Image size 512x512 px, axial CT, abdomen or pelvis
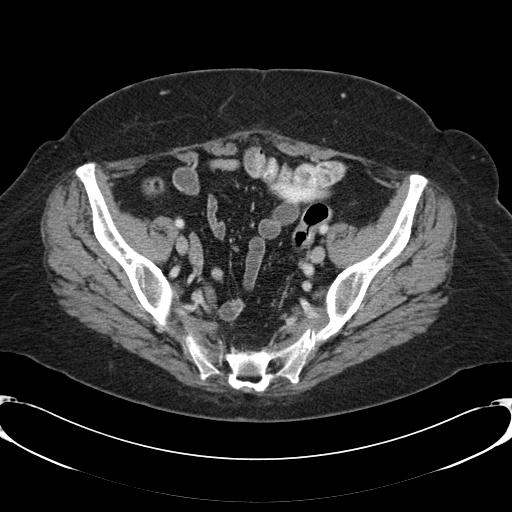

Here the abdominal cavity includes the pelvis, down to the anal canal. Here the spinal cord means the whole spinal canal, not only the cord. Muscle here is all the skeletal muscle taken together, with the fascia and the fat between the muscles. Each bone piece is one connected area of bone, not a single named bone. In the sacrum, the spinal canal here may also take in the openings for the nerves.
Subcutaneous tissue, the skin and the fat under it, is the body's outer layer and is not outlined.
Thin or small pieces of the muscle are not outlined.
{"bones":[{"outer":[[411,174],[428,182],[406,245],[375,274],[350,319],[315,345],[297,383],[278,376],[257,392],[247,386],[235,389],[221,374],[200,378],[184,344],[189,333],[215,353],[225,348],[280,349],[308,327],[323,326],[328,321],[324,297],[329,285],[384,241]],"hole":[[240,375],[242,375],[243,376],[244,376],[245,375],[246,375],[247,376],[259,376],[260,377],[260,378],[257,381],[251,381],[250,380],[243,380],[242,379],[239,379],[237,377],[238,376],[239,376]]},[[88,162],[94,162],[95,164],[95,178],[97,185],[119,233],[133,249],[151,260],[162,271],[169,282],[173,294],[172,303],[163,325],[161,325],[141,305],[125,271],[102,247],[93,232],[92,213],[87,193],[83,183],[75,174],[75,170],[78,166]]],"abdominal_cavity":[[[252,139],[288,156],[352,160],[394,192],[368,223],[338,221],[329,228],[325,242],[335,275],[325,292],[270,344],[243,347],[186,311],[168,280],[165,265],[176,235],[172,219],[126,211],[113,185],[162,156],[187,162],[204,154],[230,155]]],"torso":[[[235,67],[308,68],[368,78],[412,99],[439,128],[465,131],[486,148],[499,176],[498,198],[511,213],[510,363],[462,369],[407,397],[349,413],[251,423],[151,408],[27,356],[0,352],[0,194],[38,146],[60,137],[90,105],[124,86],[170,73]]],"muscle":[[[75,167],[96,240],[161,326],[172,308],[170,284],[184,310],[214,325],[232,346],[265,346],[324,294],[327,321],[317,329],[308,326],[280,348],[212,352],[185,334],[183,344],[202,381],[221,375],[233,389],[257,393],[278,377],[297,384],[316,345],[351,319],[376,274],[407,245],[428,178],[449,195],[458,223],[448,300],[425,332],[298,394],[268,398],[185,385],[74,320],[57,303],[44,270],[40,221],[54,185]],[[252,127],[420,173],[408,176],[406,195],[383,241],[336,275],[326,242],[330,228],[338,222],[357,227],[368,224],[380,215],[395,192],[373,179],[360,163],[349,158],[315,160],[288,155],[258,138],[248,140],[230,154],[204,153],[187,161],[162,155],[150,159],[134,172],[116,178],[112,186],[126,212],[144,219],[171,219],[175,235],[165,260],[166,277],[120,233],[98,185],[96,164],[88,161],[112,161],[165,151]]],"spinal_cord":[[[240,375],[242,375],[243,376],[244,376],[245,375],[246,375],[247,376],[259,376],[260,377],[260,378],[257,381],[251,381],[250,380],[243,380],[242,379],[239,379],[237,377],[238,376],[239,376]]]}